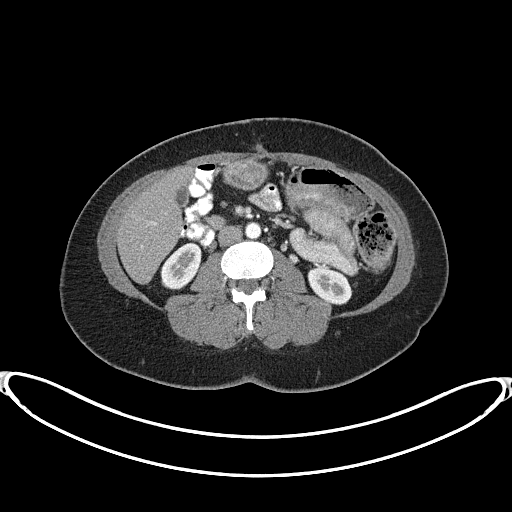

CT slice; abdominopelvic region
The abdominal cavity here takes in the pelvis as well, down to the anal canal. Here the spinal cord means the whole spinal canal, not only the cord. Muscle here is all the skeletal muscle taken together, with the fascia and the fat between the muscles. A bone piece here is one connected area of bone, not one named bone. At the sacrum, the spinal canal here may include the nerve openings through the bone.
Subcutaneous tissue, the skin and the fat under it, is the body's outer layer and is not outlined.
The spinal cord is outlined by 246,293 250,293 251,292 252,292 256,288 257,288 259,286 259,282 258,281 258,280 257,279 241,279 240,280 239,280 238,281 237,281 237,287 238,288 238,289 239,290 242,290 244,292 245,292. The torso is outlined by 284,393 320,391 353,382 413,343 441,304 449,274 445,240 431,206 413,181 375,146 312,119 275,116 232,120 189,130 142,150 104,179 72,226 58,282 67,324 82,344 107,364 156,383 198,390 251,382. The muscle is outlined by 276,349 285,345 301,346 314,344 323,337 331,322 373,311 391,300 408,284 415,265 415,250 412,235 404,212 385,189 363,174 346,169 335,162 313,155 295,152 272,151 219,152 196,156 180,164 149,172 132,182 113,200 99,227 96,244 101,269 109,283 114,288 165,314 175,334 193,342 219,348 229,348 244,339 252,338 268,347 with a hole at 249,330 254,304 266,299 273,249 304,274 306,292 329,302 333,312 365,304 389,279 395,229 375,200 341,173 257,156 197,164 170,171 125,212 116,251 138,289 159,304 191,292 201,263 220,251. The abdominal cavity is outlined by 333,312 357,308 375,297 397,255 395,229 383,209 341,173 257,156 197,164 160,178 123,216 116,238 120,264 134,285 159,304 173,293 191,292 190,284 210,253 248,239 285,255 304,274 306,292 329,302. The bones are outlined by 249,330 253,329 252,309 254,304 257,301 263,301 266,299 264,278 273,266 273,255 269,247 264,243 244,240 228,247 221,256 220,264 226,278 230,279 229,290 232,300 234,302 242,302 245,306 246,327; inner edge: 246,293 250,293 251,292 252,292 256,288 257,288 259,286 259,282 258,281 258,280 257,279 241,279 240,280 239,280 238,281 237,281 237,287 238,288 238,289 239,290 242,290 244,292 245,292.